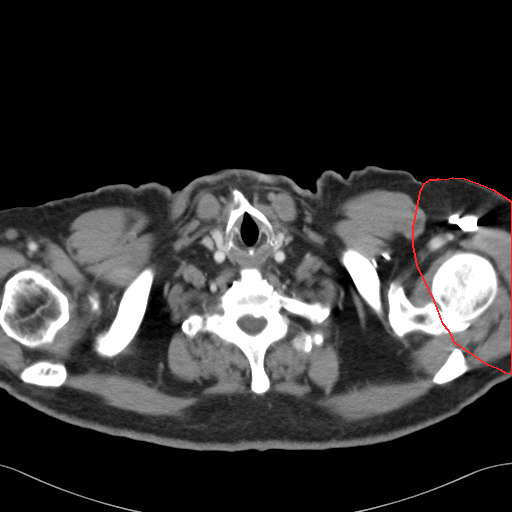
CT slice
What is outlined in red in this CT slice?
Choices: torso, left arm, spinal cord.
red: left arm.
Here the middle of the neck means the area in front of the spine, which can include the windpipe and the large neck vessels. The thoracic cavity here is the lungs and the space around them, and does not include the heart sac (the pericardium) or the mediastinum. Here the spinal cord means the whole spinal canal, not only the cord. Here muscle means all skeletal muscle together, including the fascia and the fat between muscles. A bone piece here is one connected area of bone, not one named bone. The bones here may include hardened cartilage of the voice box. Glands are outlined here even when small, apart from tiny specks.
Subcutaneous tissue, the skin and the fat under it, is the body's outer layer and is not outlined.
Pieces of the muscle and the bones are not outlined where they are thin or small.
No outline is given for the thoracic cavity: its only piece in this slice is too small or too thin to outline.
The left arm is outlined by [[452,177],[464,178],[483,185],[492,189],[511,201],[511,374],[505,373],[501,370],[488,365],[455,343],[452,339],[453,338],[449,331],[443,324],[434,300],[417,265],[413,245],[413,227],[420,192],[424,183],[430,179],[437,179],[438,178],[445,179]]. The muscle is outlined by [[228,182],[322,212],[401,191],[441,225],[511,232],[511,353],[468,370],[455,346],[431,378],[447,384],[359,420],[263,394],[290,316],[321,324],[332,307],[263,275],[293,234],[233,188],[225,225],[198,242],[239,275],[179,326],[236,346],[254,393],[152,416],[60,387],[60,361],[19,378],[0,366],[0,327],[25,347],[51,344],[70,304],[32,267],[0,300],[4,228],[55,234],[127,206],[165,234],[200,189]], around holes outlined by [[457,252],[473,252],[487,258],[491,262],[498,279],[498,289],[492,302],[462,331],[433,335],[421,330],[415,330],[398,337],[388,320],[387,292],[390,283],[394,281],[400,284],[407,298],[415,306],[423,306],[432,299],[431,283],[435,272],[445,260]] and by [[146,267],[151,267],[154,270],[154,277],[149,292],[145,312],[137,332],[131,341],[116,355],[112,357],[105,357],[98,354],[94,348],[94,344],[95,343],[96,337],[99,334],[105,332],[109,328],[109,326],[116,315],[118,306],[124,290],[130,282]] and by [[347,248],[354,249],[370,259],[371,262],[376,268],[376,271],[380,281],[380,299],[381,300],[381,305],[382,306],[382,312],[379,315],[378,315],[374,311],[374,310],[360,295],[352,280],[352,278],[350,276],[348,271],[341,261],[341,253]] and by [[302,330],[304,330],[308,332],[321,332],[324,336],[324,341],[323,343],[319,346],[318,345],[313,344],[312,345],[311,350],[307,353],[306,352],[299,351],[295,349],[291,344],[291,342],[290,341],[291,340],[291,338],[294,335],[299,333]] and by [[94,292],[95,292],[98,294],[98,297],[99,298],[99,300],[100,301],[100,308],[99,309],[99,311],[93,311],[91,309],[91,306],[90,305],[90,303],[89,302],[89,301],[88,300],[88,298],[87,297],[87,296],[89,293],[93,293]]. The middle of the neck is outlined by [[245,213],[263,225],[268,242],[272,247],[273,245],[275,252],[282,245],[285,235],[282,232],[275,234],[271,223],[286,228],[292,234],[283,265],[277,265],[273,262],[243,267],[218,264],[199,242],[210,233],[220,252],[225,253],[235,248],[234,225]]. The thyroid glands appear in 2 outlined pieces: piece 1: [[214,229],[218,229],[223,234],[223,240],[224,241],[224,243],[225,244],[225,248],[226,249],[226,251],[225,252],[220,251],[218,249],[218,248],[217,247],[217,246],[216,245],[214,240],[212,238],[212,235],[211,234],[211,231],[212,231]]; piece 2: [[277,233],[282,233],[284,235],[284,238],[283,239],[283,241],[282,242],[282,243],[281,244],[281,245],[275,251],[274,250],[274,244],[275,243],[275,238],[276,237],[276,234]]. The bones appear in 9 outlined pieces: piece 1: [[244,267],[258,268],[277,290],[288,296],[331,307],[330,314],[321,323],[289,316],[291,323],[287,335],[273,342],[265,352],[263,365],[270,386],[262,394],[251,390],[250,364],[236,345],[208,332],[189,337],[180,326],[190,314],[202,313],[215,305]], around a hole outlined by [[245,315],[250,315],[254,318],[260,318],[262,317],[265,319],[266,321],[266,323],[264,327],[259,332],[255,334],[250,334],[246,332],[244,330],[243,330],[239,326],[238,324],[238,320],[240,318],[241,318]]; piece 2: [[457,252],[473,252],[487,258],[491,262],[498,279],[498,289],[492,302],[462,331],[433,335],[421,330],[415,330],[398,337],[388,320],[387,292],[390,283],[394,281],[400,284],[407,298],[415,306],[423,306],[432,299],[431,283],[435,272],[445,260]]; piece 3: [[27,268],[32,268],[41,271],[46,276],[49,277],[65,294],[67,297],[69,304],[69,319],[57,331],[53,341],[51,343],[46,343],[33,348],[25,346],[10,337],[6,334],[0,326],[0,301],[3,292],[3,286],[7,279],[14,273],[19,270]]; piece 4: [[146,267],[151,267],[154,270],[154,277],[149,292],[145,312],[137,332],[131,341],[116,355],[112,357],[105,357],[98,354],[94,348],[94,344],[95,343],[96,337],[99,334],[105,332],[109,328],[109,326],[116,315],[118,306],[124,290],[130,282]]; piece 5: [[347,248],[354,249],[370,259],[371,262],[376,268],[376,271],[380,281],[380,299],[381,300],[381,305],[382,306],[382,312],[379,315],[378,315],[374,311],[374,310],[360,295],[352,280],[352,278],[350,276],[348,271],[341,261],[341,253]]; piece 6: [[233,189],[238,189],[241,191],[249,202],[261,211],[268,219],[275,235],[274,243],[272,246],[269,242],[264,225],[248,212],[245,212],[235,221],[233,225],[234,233],[232,240],[235,247],[232,247],[227,251],[224,240],[224,233],[229,211],[233,204]]; piece 7: [[40,360],[48,360],[54,363],[60,362],[64,364],[67,372],[65,382],[59,387],[52,387],[51,386],[39,386],[38,385],[35,385],[34,384],[24,382],[19,376],[20,375],[20,373],[29,365]]; piece 8: [[455,347],[459,348],[461,350],[465,358],[466,363],[468,366],[468,369],[467,371],[466,371],[463,374],[460,375],[458,377],[453,379],[451,381],[446,382],[443,384],[436,384],[434,383],[432,381],[432,378],[434,374],[444,363],[452,349]]; piece 9: [[302,330],[304,330],[308,332],[321,332],[324,336],[324,341],[323,343],[319,346],[318,345],[313,344],[312,345],[311,350],[307,353],[306,352],[299,351],[295,349],[291,344],[291,342],[290,341],[291,340],[291,338],[294,335],[299,333]]. The torso is outlined by [[370,164],[424,182],[412,245],[442,324],[456,345],[511,375],[459,413],[370,445],[200,451],[76,426],[0,388],[0,363],[52,371],[91,352],[117,309],[116,250],[69,196],[122,182],[157,181],[175,190],[238,165],[314,191],[324,169],[346,177]]. The right arm is outlined by [[68,196],[80,203],[84,207],[92,220],[97,225],[115,250],[121,277],[121,294],[116,309],[95,347],[91,351],[77,360],[65,366],[52,370],[27,370],[9,366],[7,364],[0,362],[0,210],[15,206],[37,205],[48,200]]. The spinal cord is outlined by [[245,315],[250,315],[254,318],[260,318],[262,317],[265,319],[266,321],[266,323],[264,327],[259,332],[255,334],[250,334],[246,332],[244,330],[243,330],[239,326],[238,324],[238,320],[240,318],[241,318]].